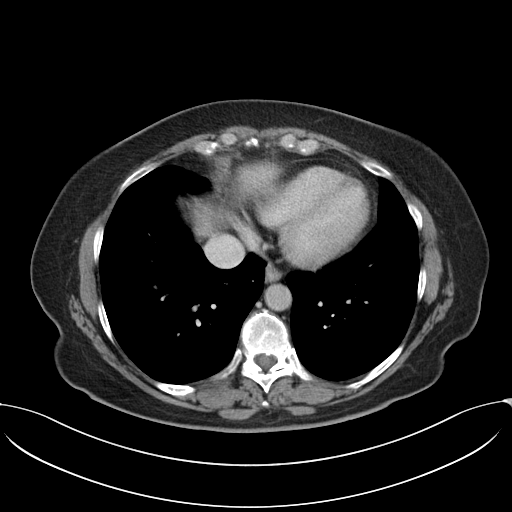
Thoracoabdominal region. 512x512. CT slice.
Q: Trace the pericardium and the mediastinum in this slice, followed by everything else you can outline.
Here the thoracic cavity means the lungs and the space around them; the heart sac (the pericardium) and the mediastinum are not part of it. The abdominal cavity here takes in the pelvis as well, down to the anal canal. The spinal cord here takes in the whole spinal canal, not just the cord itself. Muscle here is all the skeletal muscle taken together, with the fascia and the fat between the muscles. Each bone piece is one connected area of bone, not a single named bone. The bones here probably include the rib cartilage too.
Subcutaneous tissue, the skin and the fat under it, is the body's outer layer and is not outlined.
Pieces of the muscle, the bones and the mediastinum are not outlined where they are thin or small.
A: Outlines:
pericardium: (326, 157) (339, 159) (356, 168) (369, 180) (375, 190) (375, 221) (367, 233) (350, 251) (316, 271) (294, 269) (263, 250) (249, 245) (233, 229) (226, 227) (220, 206) (220, 197) (228, 186) (235, 186) (239, 191) (254, 192) (271, 179) (276, 171) (276, 166) (280, 162)
mediastinum 1: (220, 228) (233, 230) (249, 246) (263, 251) (288, 268) (295, 270) (289, 272) (285, 277) (285, 283) (292, 296) (289, 329) (277, 315) (266, 308) (254, 310) (249, 314) (264, 287) (266, 266) (264, 259) (249, 252) (237, 265) (231, 268) (217, 267) (208, 260) (197, 242)
mediastinum 2: (278, 147) (285, 150) (297, 152) (306, 156) (322, 150) (335, 150) (347, 156) (364, 169) (373, 174) (377, 178) (378, 182) (377, 218) (376, 223) (374, 225) (376, 221) (376, 207) (377, 206) (376, 205) (375, 187) (370, 180) (356, 167) (344, 160) (333, 156) (278, 161) (274, 155) (275, 151) (274, 148)
mediastinum 3: (190, 153) (197, 153) (198, 154) (201, 154) (204, 156) (210, 156) (208, 161) (209, 162) (209, 169) (207, 171) (207, 174) (206, 174) (205, 176) (189, 169) (187, 169) (182, 166) (168, 163) (171, 160) (175, 158) (177, 158) (179, 156) (181, 156) (184, 154) (189, 154)
abdominal cavity: (237, 146) (273, 148) (273, 155) (279, 162) (270, 179) (254, 191) (239, 190) (235, 185) (228, 185) (219, 197) (225, 227) (220, 227) (196, 241) (180, 216) (175, 204) (176, 198) (180, 195) (207, 192) (211, 187) (210, 181) (206, 177) (210, 169) (211, 156) (216, 152)
muscle: (231, 125) (248, 125) (258, 129) (262, 129) (272, 126) (276, 127) (293, 126) (315, 131) (334, 138) (338, 141) (376, 159) (387, 166) (394, 173) (398, 175) (404, 185) (422, 201) (432, 216) (438, 233) (438, 247) (440, 251) (441, 258) (443, 260) (447, 255) (448, 256) (449, 264) (452, 271) (453, 282) (454, 283) (453, 301) (447, 310) (444, 318) (434, 325) (433, 328) (424, 337) (423, 340) (411, 352) (404, 361) (402, 366) (398, 368) (390, 376) (374, 388) (360, 396) (331, 405) (320, 406) (317, 408) (315, 412) (311, 414) (294, 415) (288, 410) (284, 409) (268, 409) (265, 408) (259, 410) (245, 419) (227, 419) (221, 417) (215, 411) (210, 412) (200, 411) (195, 409) (183, 407) (179, 405) (175, 405) (165, 402) (147, 393) (124, 377) (117, 370) (104, 360) (98, 351) (93, 346) (91, 340) (76, 325) (74, 320) (70, 315) (68, 308) (69, 296) (70, 294) (79, 289) (78, 253) (81, 239) (87, 226) (96, 216) (117, 185) (136, 166) (139, 165) (143, 161) (155, 155) (158, 152) (173, 145) (175, 143) (196, 134) (208, 131) (212, 132) (217, 131) (221, 128) (224, 128) with a hole at (223, 133) (234, 134) (237, 141) (222, 143) (216, 152) (243, 146) (252, 136) (260, 148) (277, 148) (280, 137) (291, 133) (298, 139) (317, 140) (318, 151) (335, 150) (358, 164) (362, 159) (375, 162) (391, 173) (389, 180) (404, 201) (420, 211) (418, 257) (419, 266) (426, 271) (422, 297) (415, 303) (400, 354) (358, 388) (345, 386) (364, 374) (340, 381) (316, 375) (313, 380) (304, 380) (293, 374) (274, 380) (266, 393) (257, 382) (241, 375) (239, 365) (225, 378) (209, 376) (191, 382) (193, 392) (176, 396) (156, 387) (156, 380) (138, 367) (116, 340) (112, 343) (107, 337) (97, 309) (102, 292) (93, 239) (97, 228) (106, 225) (121, 184) (140, 167) (151, 162) (161, 166) (195, 153) (197, 142) (219, 141)
spinal cord: (259, 354) (264, 354) (267, 356) (268, 356) (269, 355) (272, 355) (275, 357) (275, 358) (276, 359) (276, 361) (274, 364) (273, 364) (267, 370) (266, 370) (265, 371) (257, 363) (256, 363) (256, 362) (255, 361) (255, 357) (257, 355) (258, 355)
bones 1: (262, 309) (277, 316) (285, 324) (297, 357) (313, 375) (313, 380) (304, 380) (296, 374) (281, 376) (272, 382) (266, 393) (257, 382) (241, 375) (240, 365) (225, 378) (214, 379) (211, 377) (223, 369) (233, 357) (240, 342) (240, 332) (245, 319) (254, 311), around a hole outlined by (259, 354) (264, 354) (267, 356) (268, 356) (269, 355) (272, 355) (275, 357) (275, 358) (276, 359) (276, 361) (274, 364) (273, 364) (267, 370) (266, 370) (265, 371) (257, 363) (256, 363) (256, 362) (255, 361) (255, 357) (257, 355) (258, 355)
bones 2: (288, 133) (291, 133) (292, 134) (294, 134) (298, 139) (315, 139) (319, 142) (319, 147) (314, 153) (312, 153) (311, 154) (308, 154) (307, 155) (305, 154) (302, 154) (298, 152) (295, 148) (292, 148) (291, 149) (285, 149) (279, 146) (277, 144) (277, 143) (280, 137)
bones 3: (403, 342) (404, 343) (404, 347) (400, 354) (396, 358) (396, 359) (380, 374) (376, 376) (370, 381) (363, 384) (358, 388) (347, 388) (345, 387) (346, 385) (350, 383) (352, 383) (355, 381) (357, 381) (362, 378) (370, 370) (371, 370) (374, 367) (383, 361) (401, 343)
bones 4: (223, 133) (232, 133) (234, 134) (237, 137) (237, 141) (234, 144) (231, 145) (225, 145) (222, 143) (221, 144) (221, 147) (218, 148) (215, 152) (211, 155) (204, 155) (201, 153) (198, 153) (194, 150) (194, 145) (197, 142) (203, 140) (219, 141) (220, 140) (219, 136)
bones 5: (155, 381) (159, 381) (160, 382) (163, 382) (164, 383) (169, 383) (170, 384) (189, 384) (193, 386) (195, 388) (195, 390) (193, 392) (186, 394) (185, 395) (180, 395) (179, 396) (176, 396) (175, 395) (172, 395) (169, 393) (167, 393) (156, 387) (154, 385) (154, 382)
bones 6: (151, 162) (158, 162) (159, 163) (158, 166) (157, 166) (155, 168) (154, 168) (152, 170) (133, 182) (120, 194) (119, 194) (119, 189) (120, 188) (120, 186) (121, 184) (126, 179) (126, 178) (127, 178) (134, 171) (135, 171) (140, 167) (144, 165) (146, 165)
bones 7: (362, 159) (365, 159) (366, 160) (369, 160) (370, 161) (375, 162) (379, 164) (381, 166) (382, 166) (390, 173) (391, 173) (392, 175) (391, 179) (387, 179) (384, 177) (381, 177) (380, 176) (376, 176) (373, 173) (370, 172) (368, 170) (364, 168) (359, 164) (359, 161)
bones 8: (99, 300) (102, 300) (103, 306) (104, 307) (104, 309) (107, 316) (107, 319) (108, 320) (108, 322) (109, 323) (112, 334) (115, 339) (114, 343) (112, 343) (109, 340) (101, 325) (101, 323) (99, 319) (99, 316) (98, 315) (98, 310) (97, 309) (97, 305) (98, 304)
bones 9: (100, 225) (102, 225) (104, 227) (104, 230) (103, 231) (103, 237) (102, 238) (101, 247) (100, 248) (100, 251) (99, 252) (99, 258) (98, 259) (98, 263) (95, 263) (95, 262) (94, 261) (94, 258) (93, 257) (93, 239) (94, 238) (94, 234) (95, 233) (95, 231)
bones 10: (407, 201) (409, 201) (413, 204) (414, 204) (417, 207) (417, 208) (420, 211) (421, 213) (421, 216) (422, 217) (422, 226) (420, 230) (418, 230) (417, 229) (417, 227) (415, 224) (415, 222) (412, 218) (408, 210) (408, 208) (406, 204) (406, 202)
bones 11: (420, 267) (424, 267) (425, 268) (425, 270) (426, 271) (426, 282) (425, 283) (425, 287) (424, 288) (424, 291) (423, 292) (423, 294) (422, 295) (422, 297) (421, 298) (421, 299) (419, 301) (417, 301) (417, 286) (418, 285) (418, 278) (419, 277) (419, 271) (420, 270)
thoracic cavity 1: (164, 164) (182, 167) (209, 181) (207, 191) (180, 194) (174, 204) (181, 220) (212, 265) (231, 269) (249, 253) (265, 261) (261, 293) (241, 325) (239, 342) (229, 362) (211, 376) (190, 383) (156, 380) (130, 359) (113, 334) (101, 291) (99, 259) (110, 214) (129, 186)
thoracic cavity 2: (377, 177) (389, 180) (395, 186) (417, 230) (419, 270) (416, 302) (401, 342) (383, 360) (365, 374) (340, 381) (328, 380) (311, 373) (300, 361) (292, 344) (290, 316) (293, 296) (286, 283) (286, 277) (296, 270) (310, 272) (320, 270) (350, 252) (373, 228) (378, 218)
torso: (239, 98) (310, 103) (402, 130) (434, 148) (458, 176) (487, 238) (489, 269) (474, 329) (447, 350) (444, 370) (428, 388) (329, 425) (233, 433) (144, 419) (90, 398) (59, 375) (53, 359) (58, 330) (29, 273) (34, 244) (59, 191) (92, 155) (149, 124) (194, 105)